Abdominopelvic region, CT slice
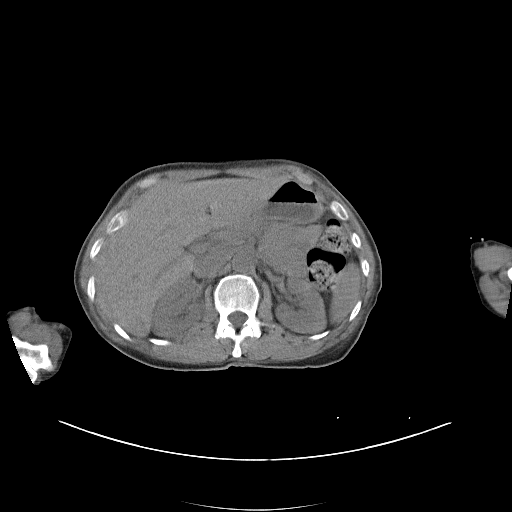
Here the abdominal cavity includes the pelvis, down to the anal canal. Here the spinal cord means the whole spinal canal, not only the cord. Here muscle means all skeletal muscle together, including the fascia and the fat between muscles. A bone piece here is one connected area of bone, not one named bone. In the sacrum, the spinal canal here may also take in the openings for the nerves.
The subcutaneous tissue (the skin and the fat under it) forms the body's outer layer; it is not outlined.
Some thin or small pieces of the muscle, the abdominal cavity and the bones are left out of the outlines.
The spinal cord is outlined by [[235,311],[239,311],[240,312],[242,312],[244,314],[245,314],[246,315],[246,319],[242,323],[242,324],[241,325],[241,326],[240,327],[235,327],[233,325],[233,324],[229,320],[229,319],[228,318],[228,316],[231,313],[232,313],[233,312],[234,312]]. The muscle appears in 3 outlined pieces: piece 1: [[274,164],[294,165],[317,176],[349,208],[368,241],[375,261],[375,285],[349,338],[299,360],[237,359],[242,356],[242,341],[246,337],[259,338],[261,327],[266,324],[256,314],[263,283],[269,288],[273,320],[289,332],[308,336],[312,341],[326,336],[346,319],[352,321],[362,306],[363,276],[369,275],[370,264],[356,252],[355,248],[362,246],[361,238],[355,231],[350,233],[344,224],[349,218],[346,208],[335,199],[329,202],[312,184],[313,180],[297,168],[294,175],[266,178],[217,173],[154,183],[155,176],[145,177],[136,183],[139,188],[147,187],[130,203],[128,216],[125,209],[117,211],[105,227],[108,235],[114,232],[105,239],[98,237],[88,253],[95,260],[94,273],[87,279],[86,295],[91,302],[95,297],[101,310],[113,321],[114,330],[125,340],[131,342],[131,336],[145,338],[158,346],[170,345],[170,338],[202,321],[205,292],[210,284],[218,313],[213,336],[216,340],[233,341],[234,359],[198,364],[166,361],[109,337],[89,308],[79,274],[91,237],[123,193],[145,176],[165,170]]; piece 2: [[485,245],[489,246],[498,245],[511,249],[511,266],[509,266],[506,270],[506,275],[508,279],[511,281],[511,290],[509,296],[509,302],[505,314],[499,313],[489,304],[485,298],[479,284],[479,273],[474,261],[474,252],[477,247],[483,247]]; piece 3: [[19,311],[28,311],[35,320],[42,323],[45,323],[50,326],[55,326],[55,329],[58,332],[62,339],[62,349],[61,353],[57,360],[57,364],[54,369],[53,362],[49,355],[49,347],[45,342],[32,343],[27,340],[21,339],[10,332],[7,318]]. The left arm is outlined by [[481,238],[484,239],[492,238],[511,245],[511,290],[509,296],[509,302],[507,306],[507,309],[504,318],[500,318],[494,315],[488,311],[483,306],[477,293],[475,287],[475,284],[473,280],[473,277],[470,270],[470,245],[472,242],[474,241],[478,241]]. The abdominal cavity is outlined by [[217,174],[295,176],[321,192],[343,221],[363,275],[339,325],[289,331],[274,320],[269,286],[263,282],[260,292],[245,273],[222,276],[212,297],[209,283],[201,321],[169,339],[132,336],[106,315],[95,296],[96,256],[127,222],[131,203],[156,183]]. The bones appear in 13 outlined pieces: piece 1: [[229,274],[245,274],[253,279],[260,293],[255,314],[260,321],[265,323],[260,327],[261,334],[259,337],[246,336],[241,341],[241,356],[237,358],[232,355],[234,341],[231,338],[224,337],[216,339],[214,336],[219,313],[214,305],[213,291],[218,281]]; inner edge: [[235,311],[239,311],[240,312],[242,312],[244,314],[245,314],[246,315],[246,319],[242,323],[242,324],[241,325],[241,326],[240,327],[235,327],[233,325],[233,324],[229,320],[229,319],[228,318],[228,316],[231,313],[232,313],[233,312],[234,312]]; piece 2: [[12,334],[21,340],[27,341],[32,344],[45,343],[48,347],[48,355],[52,362],[53,370],[47,371],[45,369],[40,368],[37,371],[37,377],[33,382],[31,380],[30,376],[23,365],[23,363],[18,353],[18,350],[16,348],[16,346],[12,338]]; piece 3: [[121,210],[125,210],[126,211],[126,216],[127,217],[127,220],[126,222],[121,227],[120,227],[115,231],[113,231],[111,233],[109,233],[108,234],[106,232],[106,227],[107,226],[107,224],[108,222],[110,220],[110,219],[117,212]]; piece 4: [[333,200],[335,200],[336,201],[337,201],[338,202],[339,202],[345,208],[345,209],[347,211],[347,213],[348,214],[348,218],[346,220],[342,220],[341,219],[340,219],[339,218],[338,218],[336,216],[336,215],[332,211],[332,210],[330,208],[330,202]]; piece 5: [[91,275],[93,275],[94,276],[94,285],[95,286],[95,293],[94,294],[94,300],[93,301],[91,301],[89,299],[89,298],[88,297],[88,296],[87,295],[87,283],[88,282],[88,279],[89,278],[89,277]]; piece 6: [[100,237],[101,237],[103,239],[103,243],[102,244],[102,245],[101,246],[99,251],[96,254],[96,255],[94,257],[94,258],[93,259],[91,259],[89,256],[89,253],[90,252],[91,247],[92,246],[92,245],[94,243],[94,242],[98,238],[99,238]]; piece 7: [[359,299],[361,301],[361,306],[360,307],[360,309],[359,310],[358,313],[356,315],[356,316],[352,320],[349,321],[348,320],[348,318],[350,315],[350,313],[351,312],[351,311],[352,310],[352,309],[353,308],[354,305],[356,303],[356,302]]; piece 8: [[114,323],[117,323],[130,336],[130,337],[131,338],[131,341],[129,341],[128,340],[127,340],[126,339],[125,339],[122,336],[121,336],[115,330],[115,329],[114,328],[114,327],[113,326],[113,324]]; piece 9: [[352,232],[355,232],[359,236],[359,237],[360,238],[360,240],[361,241],[361,246],[359,248],[357,248],[356,247],[355,247],[353,245],[353,244],[351,242],[351,241],[350,240],[350,234]]; piece 10: [[297,169],[300,172],[301,172],[302,173],[303,173],[304,174],[305,174],[308,177],[309,177],[312,180],[312,183],[311,183],[310,184],[308,184],[307,183],[305,183],[304,182],[303,182],[301,180],[300,180],[293,173],[294,172],[295,172],[297,170]]; piece 11: [[149,177],[155,177],[156,178],[156,180],[153,183],[152,183],[151,184],[150,184],[149,185],[148,185],[147,186],[146,186],[145,187],[139,187],[137,185],[137,183],[138,182],[139,182],[140,181],[141,181],[143,179],[144,179],[145,178],[148,178]]; piece 12: [[149,338],[157,338],[158,339],[165,339],[166,340],[169,340],[171,342],[171,343],[170,344],[169,344],[168,345],[158,345],[157,344],[155,344],[154,343],[153,343],[152,342],[151,342],[150,341],[149,341]]; piece 13: [[326,330],[329,330],[329,332],[326,335],[325,335],[324,336],[323,336],[318,339],[315,339],[314,340],[312,340],[311,339],[309,339],[308,338],[308,337],[311,335],[313,335],[314,334],[317,334],[318,333],[320,333],[321,332],[323,332]]. The right arm is outlined by [[25,305],[34,306],[36,311],[42,318],[60,321],[70,327],[72,331],[72,337],[60,369],[53,377],[42,381],[38,385],[35,385],[33,383],[23,365],[18,353],[18,350],[16,348],[12,338],[12,334],[9,329],[9,325],[6,315],[8,310]]. The torso is outlined by [[260,157],[289,158],[319,170],[353,205],[375,241],[382,265],[382,285],[365,326],[348,354],[338,362],[313,368],[230,366],[220,370],[175,371],[140,363],[107,343],[93,328],[81,307],[73,284],[73,270],[84,238],[116,188],[132,174],[156,164]].